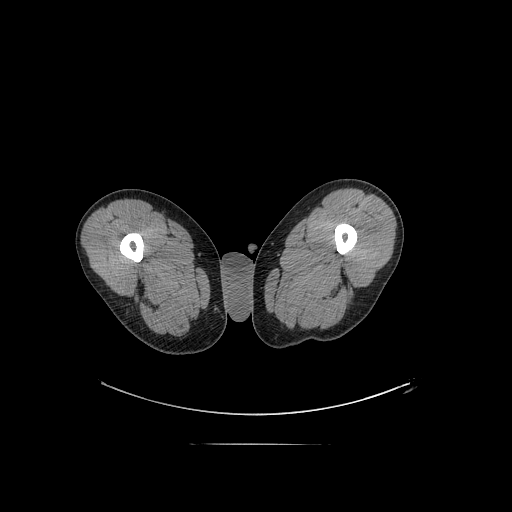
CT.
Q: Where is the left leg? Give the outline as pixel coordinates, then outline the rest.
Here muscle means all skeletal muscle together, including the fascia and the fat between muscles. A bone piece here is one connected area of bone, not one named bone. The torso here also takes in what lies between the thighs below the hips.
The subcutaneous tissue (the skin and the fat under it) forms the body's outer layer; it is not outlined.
A: left leg: [[338,178],[368,181],[382,189],[393,200],[400,212],[404,227],[404,241],[399,261],[371,311],[346,334],[331,341],[311,339],[295,346],[272,348],[257,336],[252,325],[253,273],[257,253],[249,252],[247,246],[252,242],[260,246],[300,198],[317,186]]
muscle 1: [[344,187],[356,187],[366,193],[373,193],[390,207],[397,223],[393,253],[388,262],[377,272],[374,280],[364,289],[339,323],[327,329],[317,331],[289,330],[282,327],[272,318],[265,308],[263,294],[266,277],[290,230],[318,205],[325,195],[335,189]], around a hole outlined by [[341,222],[345,222],[346,223],[348,223],[349,224],[352,225],[355,228],[355,229],[357,232],[357,241],[356,242],[354,247],[346,254],[340,254],[336,250],[336,248],[335,247],[335,243],[334,242],[334,228],[335,227],[335,226],[338,223],[340,223]]
muscle 2: [[122,198],[141,199],[159,207],[188,231],[192,240],[205,258],[209,273],[211,300],[206,316],[203,320],[193,331],[181,339],[172,340],[152,332],[137,315],[105,284],[89,265],[84,249],[80,243],[82,227],[87,218],[96,209],[108,204],[113,200]] with a hole at [[129,232],[139,232],[141,233],[141,235],[142,236],[142,238],[144,242],[144,251],[143,252],[143,257],[142,259],[138,262],[135,262],[125,257],[120,252],[119,250],[119,244],[120,243],[120,241],[121,239],[124,235],[125,235]]
torso: [[229,251],[238,251],[241,253],[243,253],[251,259],[254,260],[253,272],[252,273],[252,311],[251,312],[251,315],[244,321],[241,322],[234,321],[229,317],[228,314],[226,312],[226,306],[224,301],[224,283],[221,276],[221,256],[224,253]]
right leg: [[122,188],[145,189],[168,198],[185,210],[204,229],[214,243],[220,255],[223,301],[225,312],[228,317],[223,334],[217,342],[208,349],[194,354],[171,355],[151,348],[132,335],[119,322],[84,275],[74,242],[78,222],[84,212],[96,200],[109,192]]
bones 1: [[341,222],[345,222],[346,223],[348,223],[349,224],[352,225],[355,228],[355,229],[357,232],[357,241],[356,242],[354,247],[346,254],[340,254],[336,250],[336,248],[335,247],[335,243],[334,242],[334,228],[335,227],[335,226],[338,223],[340,223]]
bones 2: [[129,232],[139,232],[141,233],[141,235],[142,236],[142,238],[144,242],[144,251],[143,252],[143,257],[142,259],[138,262],[135,262],[125,257],[120,252],[119,250],[119,244],[120,243],[120,241],[121,239],[124,235],[125,235]]